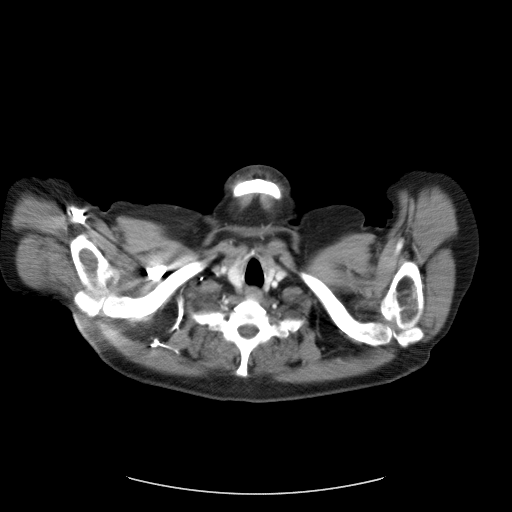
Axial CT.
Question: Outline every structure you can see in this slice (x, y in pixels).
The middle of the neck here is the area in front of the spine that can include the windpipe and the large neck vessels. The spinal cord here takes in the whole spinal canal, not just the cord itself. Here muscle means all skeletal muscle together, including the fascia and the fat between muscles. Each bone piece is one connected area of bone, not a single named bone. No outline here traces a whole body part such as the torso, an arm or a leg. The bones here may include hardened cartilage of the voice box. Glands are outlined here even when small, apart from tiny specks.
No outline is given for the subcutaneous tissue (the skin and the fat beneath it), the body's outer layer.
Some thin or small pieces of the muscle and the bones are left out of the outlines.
Answer: The spinal cord is outlined by [[247,324],[248,324],[249,325],[253,325],[257,329],[257,332],[253,336],[252,336],[249,338],[247,338],[246,337],[244,337],[243,336],[242,336],[239,333],[239,332],[238,331],[238,328],[239,327],[240,327],[243,325],[246,325]]. The thyroid glands appear in 2 outlined pieces: piece 1: [[243,260],[246,260],[246,262],[245,263],[245,265],[243,268],[243,270],[241,274],[241,278],[242,279],[242,285],[241,286],[241,288],[237,288],[235,287],[228,280],[228,278],[227,277],[227,273],[228,271],[234,265],[235,265],[239,261],[242,261]]; piece 2: [[270,269],[275,269],[276,270],[276,271],[275,272],[275,273],[274,274],[274,275],[272,278],[272,280],[273,281],[272,282],[271,285],[267,290],[265,290],[265,288],[266,287],[266,285],[267,284],[267,283],[269,280],[269,271],[270,270]]. The middle of the neck is outlined by [[242,248],[249,248],[251,249],[251,252],[256,252],[259,254],[261,253],[268,257],[286,274],[283,282],[277,287],[275,292],[261,303],[257,299],[245,295],[242,296],[229,290],[217,280],[213,274],[215,268],[213,267],[216,264]] with a hole at [[243,260],[246,260],[246,262],[245,263],[245,265],[243,268],[243,270],[241,274],[241,278],[242,279],[242,285],[241,286],[241,288],[237,288],[235,287],[228,280],[228,278],[227,277],[227,273],[228,271],[234,265],[235,265],[239,261],[242,261]]. The muscle appears in 3 outlined pieces: piece 1: [[433,184],[452,199],[459,227],[451,245],[455,286],[446,321],[429,341],[402,351],[384,366],[337,380],[295,384],[268,377],[187,377],[154,371],[96,341],[63,296],[28,286],[15,264],[17,235],[10,219],[20,193],[27,190],[54,201],[74,202],[104,216],[160,222],[178,239],[198,248],[229,236],[276,236],[302,258],[347,232],[369,232],[377,238],[384,235],[399,216],[398,190],[406,188],[415,198],[423,187]] with holes at [[242,248],[268,257],[286,274],[275,292],[260,304],[271,321],[305,320],[287,337],[273,336],[255,347],[247,360],[245,377],[235,373],[241,360],[238,348],[220,332],[190,316],[194,311],[230,310],[246,297],[229,290],[213,274],[216,264]] and at [[405,261],[411,261],[418,267],[424,299],[423,312],[417,323],[424,335],[419,341],[406,347],[400,346],[394,338],[387,344],[372,346],[349,337],[334,323],[318,297],[298,274],[304,271],[321,280],[356,320],[387,324],[380,311],[380,303],[394,275]] and at [[81,234],[91,241],[118,270],[119,279],[111,290],[119,296],[142,296],[182,267],[195,261],[204,260],[206,266],[183,282],[145,320],[131,321],[126,318],[112,318],[103,315],[89,317],[73,302],[75,293],[83,287],[72,260],[69,245],[74,238]]; piece 2: [[251,194],[261,194],[269,196],[275,200],[281,199],[281,202],[277,208],[275,214],[271,217],[269,217],[261,212],[255,212],[249,214],[245,213],[242,216],[236,215],[235,211],[233,209],[232,210],[231,209],[231,203],[233,200],[233,197],[238,198]]; piece 3: [[252,169],[269,171],[273,174],[281,182],[282,185],[284,187],[284,192],[282,197],[282,191],[279,185],[277,183],[269,179],[266,179],[262,177],[253,177],[248,179],[238,180],[232,186],[231,191],[230,190],[230,184],[236,176]]. The bones appear in 4 outlined pieces: piece 1: [[405,261],[411,261],[418,267],[424,299],[423,312],[417,323],[424,335],[419,341],[406,347],[400,346],[394,338],[387,344],[372,346],[349,337],[334,323],[318,297],[298,274],[304,271],[321,280],[356,320],[387,324],[380,311],[380,303],[394,275]]; piece 2: [[81,234],[91,241],[118,270],[119,279],[111,290],[119,296],[142,296],[182,267],[195,261],[204,260],[206,266],[183,282],[145,320],[131,321],[126,318],[112,318],[103,315],[89,317],[73,302],[75,293],[83,287],[72,260],[69,245],[74,238]]; piece 3: [[246,297],[257,300],[267,311],[272,322],[283,318],[305,320],[287,337],[273,336],[255,347],[247,360],[247,375],[243,377],[235,373],[241,360],[238,348],[225,340],[220,332],[196,322],[190,313],[201,310],[223,311],[225,307],[230,310]]; inner edge: [[247,324],[248,324],[249,325],[253,325],[257,329],[257,332],[253,336],[252,336],[249,338],[247,338],[246,337],[244,337],[243,336],[242,336],[239,333],[239,332],[238,331],[238,328],[239,327],[240,327],[243,325],[246,325]]; piece 4: [[253,178],[262,178],[266,180],[269,180],[277,184],[281,191],[281,198],[280,199],[275,199],[269,195],[266,195],[261,193],[251,193],[250,194],[246,194],[243,196],[234,197],[232,194],[233,186],[238,181],[243,181],[244,180],[248,180]].